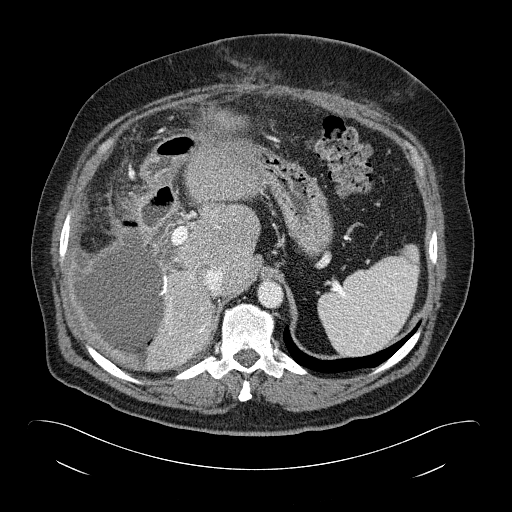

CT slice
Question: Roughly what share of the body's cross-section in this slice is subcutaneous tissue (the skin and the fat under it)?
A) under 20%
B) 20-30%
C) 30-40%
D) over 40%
Answer: B) 20-30%
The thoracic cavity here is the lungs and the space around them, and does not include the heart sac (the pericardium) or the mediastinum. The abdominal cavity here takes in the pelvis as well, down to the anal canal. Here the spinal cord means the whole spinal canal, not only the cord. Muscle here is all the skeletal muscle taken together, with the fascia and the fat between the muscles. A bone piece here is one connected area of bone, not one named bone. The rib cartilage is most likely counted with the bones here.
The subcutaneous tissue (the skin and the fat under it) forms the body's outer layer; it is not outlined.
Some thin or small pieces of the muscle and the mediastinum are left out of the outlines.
Outlines:
spinal cord: [[247,349],[252,349],[253,350],[254,350],[257,353],[257,354],[258,355],[258,358],[251,365],[250,365],[249,366],[245,366],[244,365],[241,364],[234,358],[234,356],[235,355],[235,354],[236,354],[239,351],[240,351],[241,350],[246,350]]
thoracic cavity 1: [[419,320],[420,323],[416,330],[389,357],[371,370],[358,373],[352,376],[327,377],[318,376],[311,373],[286,352],[284,345],[283,334],[284,328],[287,325],[289,334],[295,345],[300,350],[310,356],[322,360],[361,358],[375,354],[395,344],[403,338]]
thoracic cavity 2: [[212,341],[210,348],[211,352],[210,354],[204,357],[200,361],[180,372],[176,373],[174,375],[174,377],[169,377],[156,381],[149,381],[136,378],[128,373],[123,372],[120,369],[120,368],[128,369],[149,374],[165,373],[190,362],[198,357],[210,347]]
muscle: [[233,82],[271,82],[340,94],[388,114],[410,131],[428,153],[434,167],[444,216],[446,277],[439,315],[427,352],[416,368],[404,376],[358,397],[308,411],[295,412],[247,401],[253,396],[248,376],[256,370],[277,379],[285,370],[302,376],[310,373],[327,378],[346,378],[369,371],[371,376],[388,370],[411,351],[421,335],[422,308],[428,288],[426,211],[416,178],[416,173],[423,181],[426,169],[416,147],[407,140],[403,142],[413,165],[402,147],[379,130],[305,99],[289,94],[259,91],[236,92],[162,109],[134,121],[115,141],[110,137],[102,141],[95,151],[97,158],[111,146],[111,149],[98,161],[85,187],[73,228],[69,260],[69,293],[75,317],[91,344],[84,345],[87,352],[101,368],[118,379],[137,385],[143,385],[143,381],[156,382],[169,378],[175,381],[187,380],[203,372],[219,380],[231,370],[236,370],[243,375],[237,395],[240,402],[224,413],[205,414],[142,401],[72,365],[62,356],[57,343],[50,280],[51,235],[63,192],[85,146],[109,122],[134,108],[179,91]] with holes at [[69,210],[72,210],[72,215],[70,220],[70,230],[69,231],[69,237],[68,238],[67,249],[66,250],[66,253],[64,257],[64,260],[61,264],[59,262],[59,239],[60,238],[60,234],[61,233],[61,230],[63,226],[63,223],[64,222],[65,217]] and at [[433,230],[435,230],[436,231],[436,234],[437,235],[437,259],[436,260],[436,263],[435,264],[433,264],[430,261],[430,260],[429,259],[429,255],[428,254],[428,242],[429,241],[429,239],[430,238],[430,236],[431,235],[431,232]]
abdominal cavity: [[253,92],[305,100],[379,131],[404,151],[425,211],[427,288],[421,318],[375,353],[318,358],[292,339],[286,290],[263,270],[223,307],[209,347],[198,356],[160,373],[119,367],[82,331],[70,293],[74,228],[86,187],[99,161],[137,120],[185,104]]
mediastinum: [[263,271],[273,275],[278,280],[287,296],[289,324],[286,324],[283,328],[283,345],[274,335],[276,329],[274,316],[269,311],[256,304],[240,302],[231,307],[227,307],[223,311],[219,329],[219,339],[214,344],[211,351],[222,310],[233,300],[241,296]]
bones 1: [[240,303],[256,305],[273,316],[273,335],[280,348],[308,374],[285,369],[277,378],[256,369],[247,376],[252,396],[242,402],[238,395],[244,375],[236,369],[231,369],[219,379],[203,371],[187,379],[175,380],[176,374],[213,353],[220,339],[224,311]]; inner edge: [[247,349],[252,349],[253,350],[254,350],[257,353],[257,354],[258,355],[258,358],[251,365],[250,365],[249,366],[245,366],[244,365],[241,364],[234,358],[234,356],[235,355],[235,354],[236,354],[239,351],[240,351],[241,350],[246,350]]
bones 2: [[419,327],[420,327],[421,331],[420,332],[420,335],[416,343],[410,350],[410,351],[401,360],[400,360],[397,363],[388,369],[383,370],[375,374],[372,374],[371,375],[369,374],[369,373],[377,366],[383,363],[399,348],[400,348],[401,346],[417,330]]
bones 3: [[86,344],[89,344],[92,346],[98,352],[117,366],[123,373],[128,374],[132,377],[134,377],[136,379],[141,380],[144,383],[143,384],[137,384],[127,380],[124,380],[123,379],[118,378],[106,371],[102,367],[101,367],[90,355],[85,346]]
bones 4: [[69,210],[72,210],[72,215],[70,220],[70,230],[69,231],[69,237],[68,238],[67,249],[66,250],[66,253],[64,257],[64,260],[61,264],[59,262],[59,239],[60,238],[60,234],[61,233],[61,230],[63,226],[63,223],[64,222],[65,217]]
bones 5: [[405,141],[407,141],[409,142],[413,146],[415,147],[423,162],[423,164],[424,165],[424,168],[425,169],[425,175],[424,176],[424,179],[423,180],[416,172],[416,170],[414,167],[414,163],[411,158],[411,156],[408,150],[405,146],[405,144],[404,143]]
bones 6: [[433,230],[435,230],[436,231],[436,234],[437,235],[437,259],[436,260],[436,263],[435,264],[433,264],[430,261],[430,260],[429,259],[429,255],[428,254],[428,242],[429,241],[429,239],[430,238],[430,236],[431,235],[431,232]]
bones 7: [[110,138],[111,139],[112,139],[113,140],[113,141],[112,142],[111,145],[109,147],[109,148],[102,155],[101,155],[99,157],[97,157],[96,156],[96,151],[97,150],[98,147],[100,145],[100,144],[105,140],[106,140],[107,139],[109,139]]
torso: [[269,32],[323,36],[375,50],[411,72],[449,108],[464,140],[464,182],[474,231],[465,304],[421,387],[372,417],[289,435],[235,436],[170,427],[118,411],[55,379],[46,365],[43,320],[30,265],[43,185],[76,113],[106,81],[171,52],[219,38]]